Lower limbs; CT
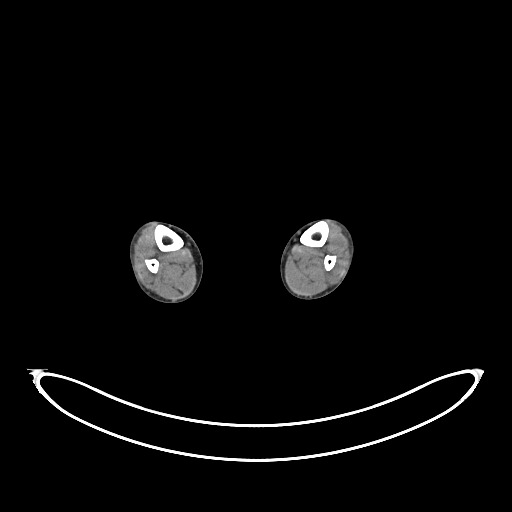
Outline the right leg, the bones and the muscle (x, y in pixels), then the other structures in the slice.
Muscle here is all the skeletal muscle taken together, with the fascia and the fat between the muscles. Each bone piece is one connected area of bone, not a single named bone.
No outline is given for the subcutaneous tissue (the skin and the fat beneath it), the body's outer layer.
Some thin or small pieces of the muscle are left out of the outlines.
Outlines:
right leg: [[150,220],[163,220],[182,228],[194,239],[200,250],[203,259],[203,275],[202,276],[201,283],[194,295],[186,301],[184,301],[181,303],[162,303],[156,301],[148,297],[140,289],[136,283],[129,261],[128,247],[129,246],[130,239],[136,229],[144,222]]
bones 1: [[157,223],[159,223],[160,224],[163,224],[169,227],[174,231],[175,231],[183,239],[183,245],[179,249],[177,249],[176,250],[173,250],[172,251],[162,251],[160,250],[157,246],[156,242],[155,241],[155,239],[154,238],[154,228],[155,227],[155,224]]
bones 2: [[321,219],[323,219],[327,221],[328,227],[329,228],[329,232],[328,233],[326,241],[324,244],[322,246],[320,246],[319,247],[314,247],[313,246],[309,246],[308,245],[305,245],[303,244],[299,239],[303,231],[312,224],[318,220],[320,220]]
bones 3: [[150,258],[155,258],[158,261],[158,263],[159,264],[158,265],[158,269],[157,270],[157,271],[155,273],[153,273],[152,272],[151,272],[148,269],[148,268],[147,267],[147,266],[146,265],[146,264],[144,261],[145,260],[145,259],[149,259]]
bones 4: [[327,254],[329,254],[330,255],[335,255],[336,256],[336,259],[335,260],[335,263],[334,264],[334,265],[333,266],[333,267],[330,270],[326,270],[325,269],[325,267],[324,266],[324,258],[325,257],[325,256]]
muscle 1: [[328,222],[332,222],[338,225],[341,228],[342,233],[347,238],[349,259],[345,271],[335,284],[319,293],[310,296],[296,294],[289,288],[285,279],[285,262],[287,255],[294,242],[298,238],[299,241],[305,246],[314,248],[322,247],[327,241],[330,232]] with a hole at [[327,254],[329,254],[330,255],[335,255],[336,256],[336,259],[335,260],[335,263],[334,264],[334,265],[333,266],[333,267],[330,270],[326,270],[325,269],[325,267],[324,266],[324,258],[325,257],[325,256]]
muscle 2: [[151,224],[154,224],[153,238],[156,246],[160,251],[172,252],[179,250],[184,245],[184,239],[192,246],[193,257],[196,266],[196,281],[192,291],[187,296],[183,298],[172,300],[162,297],[147,288],[141,282],[138,277],[134,261],[134,245],[142,230]] with a hole at [[150,258],[155,258],[158,261],[158,263],[159,264],[158,265],[158,269],[157,270],[157,271],[155,273],[153,273],[152,272],[151,272],[148,269],[148,268],[147,267],[147,266],[146,265],[146,264],[144,261],[145,260],[145,259],[149,259]]
left leg: [[324,217],[335,218],[339,220],[350,231],[354,241],[354,255],[351,267],[343,282],[339,287],[331,293],[321,298],[313,300],[302,300],[298,299],[290,295],[282,285],[279,273],[280,256],[287,240],[300,226],[311,220],[318,218],[323,218]]